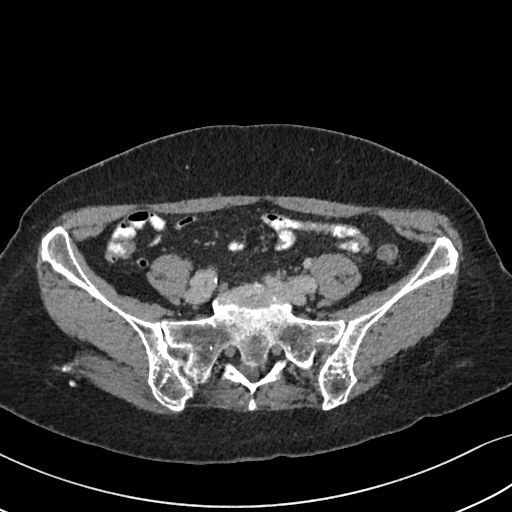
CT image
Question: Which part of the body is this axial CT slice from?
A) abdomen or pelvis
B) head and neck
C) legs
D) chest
Answer: A) abdomen or pelvis
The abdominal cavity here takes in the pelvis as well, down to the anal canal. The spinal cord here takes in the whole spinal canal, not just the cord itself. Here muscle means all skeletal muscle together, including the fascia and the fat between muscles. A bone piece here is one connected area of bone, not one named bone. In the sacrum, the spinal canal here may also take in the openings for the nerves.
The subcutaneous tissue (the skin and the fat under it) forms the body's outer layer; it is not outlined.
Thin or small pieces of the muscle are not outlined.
The torso is outlined by [[257,123],[311,125],[370,139],[431,167],[467,196],[511,273],[511,385],[455,411],[425,417],[405,429],[353,446],[314,455],[276,456],[234,463],[186,464],[121,454],[52,432],[1,408],[0,252],[26,207],[64,176],[150,139],[204,125]]. The bones are outlined by [[57,225],[98,290],[150,322],[209,317],[218,294],[254,282],[298,317],[347,322],[396,293],[437,236],[458,262],[370,326],[345,403],[321,409],[316,359],[258,387],[254,411],[249,390],[219,371],[174,411],[152,393],[133,327],[42,260]] with a hole at [[274,345],[281,346],[283,352],[282,357],[278,359],[263,376],[253,382],[249,380],[242,372],[241,369],[232,362],[228,360],[222,361],[219,358],[220,353],[227,347],[232,346],[237,350],[244,364],[243,366],[244,367],[258,368],[267,363],[269,350]]. The spinal cord is outlined by [[274,345],[281,346],[283,352],[282,357],[278,359],[263,376],[253,382],[249,380],[242,372],[241,369],[232,362],[228,360],[222,361],[219,358],[220,353],[227,347],[232,346],[237,350],[244,364],[243,366],[244,367],[258,368],[267,363],[269,350]]. The abdominal cavity is outlined by [[259,201],[328,217],[376,215],[421,248],[421,254],[405,275],[383,289],[330,312],[329,319],[296,315],[283,296],[258,281],[218,293],[211,302],[209,316],[174,319],[169,309],[156,302],[120,294],[94,271],[80,248],[81,243],[135,209],[186,214]]; inner edge: [[324,253],[337,253],[338,254],[342,254],[345,256],[347,256],[356,264],[361,274],[361,279],[359,283],[351,292],[341,299],[329,305],[325,305],[321,303],[321,296],[318,293],[318,283],[316,281],[315,278],[310,273],[314,261],[313,260],[314,258]]. The muscle appears in 5 outlined pieces: piece 1: [[266,194],[362,206],[426,208],[447,216],[457,229],[464,259],[450,312],[431,334],[388,363],[385,377],[377,385],[347,402],[358,380],[354,362],[367,331],[403,296],[447,274],[454,275],[459,262],[457,248],[446,234],[437,235],[417,270],[387,300],[347,321],[330,319],[330,313],[405,276],[422,248],[376,214],[328,216],[288,209],[268,200],[186,213],[139,207],[79,244],[87,264],[120,295],[156,303],[169,310],[173,319],[150,321],[120,308],[84,272],[66,226],[57,224],[47,230],[40,239],[41,260],[132,327],[145,350],[146,382],[153,397],[162,406],[181,412],[156,414],[138,408],[61,367],[81,348],[44,308],[34,268],[40,237],[60,214],[87,205]]; piece 2: [[316,360],[322,360],[316,376],[319,394],[322,398],[320,409],[304,406],[293,409],[282,409],[275,411],[256,410],[258,407],[253,396],[258,388],[268,383],[280,380],[282,378],[281,374],[283,370],[290,362],[299,369],[308,371],[317,363]]; piece 3: [[324,253],[337,253],[338,254],[342,254],[345,256],[347,256],[356,264],[361,274],[361,279],[359,283],[351,292],[341,299],[329,305],[325,305],[321,303],[321,296],[318,293],[318,283],[316,281],[315,278],[310,273],[314,261],[313,260],[314,258]]; piece 4: [[213,372],[215,373],[219,372],[219,377],[221,380],[228,380],[233,383],[240,384],[248,390],[251,396],[247,403],[248,411],[237,412],[233,410],[214,407],[190,407],[182,411],[185,409],[186,402],[194,396],[195,392],[193,385],[205,384],[213,375]]; piece 5: [[164,254],[176,254],[184,259],[191,261],[193,264],[193,268],[189,274],[189,277],[187,279],[187,281],[184,285],[183,293],[181,294],[181,299],[179,303],[177,304],[170,301],[166,297],[159,293],[148,281],[146,275],[151,267],[152,262],[156,258]].